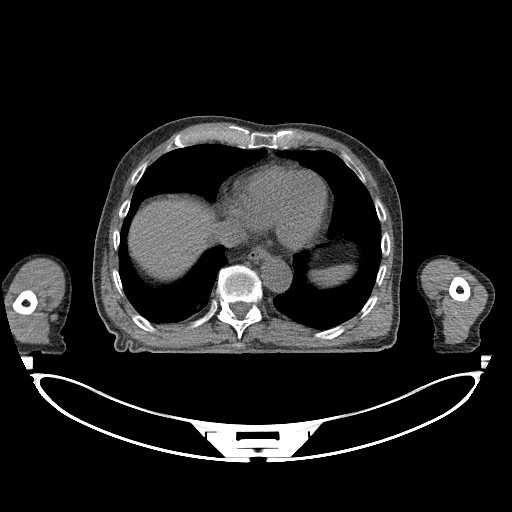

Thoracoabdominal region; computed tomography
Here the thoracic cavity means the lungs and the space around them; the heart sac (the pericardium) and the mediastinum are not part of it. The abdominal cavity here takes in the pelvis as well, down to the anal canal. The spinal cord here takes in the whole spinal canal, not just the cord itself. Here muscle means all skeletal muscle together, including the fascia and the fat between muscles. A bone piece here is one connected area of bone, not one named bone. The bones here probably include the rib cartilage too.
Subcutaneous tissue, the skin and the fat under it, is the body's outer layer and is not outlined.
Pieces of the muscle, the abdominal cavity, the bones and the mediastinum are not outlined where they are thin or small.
The torso is outlined by 194,115 225,115 265,124 321,124 355,137 383,161 395,183 403,221 400,322 397,339 391,347 358,354 240,355 146,351 134,354 115,349 115,336 99,317 92,290 94,240 113,172 127,150 145,134 166,122. The right arm is outlined by 37,252 50,253 59,257 66,264 71,275 71,301 66,321 61,330 61,334 64,337 66,344 66,349 63,354 42,354 39,351 34,351 31,355 21,355 14,341 6,312 2,291 2,281 4,277 18,260. The mediastinum appears in 2 outlined pieces: piece 1: 226,223 233,224 237,233 232,246 260,241 284,254 293,255 292,280 290,286 284,292 276,295 271,301 267,301 264,299 262,281 253,269 241,263 223,266 227,263 225,247 221,244 212,246 218,240 222,227; piece 2: 265,148 282,149 282,150 278,150 276,152 276,154 278,156 295,159 302,165 277,159 270,159 268,161 256,165 239,173 231,180 228,181 223,186 216,203 214,201 222,182 228,176 262,158 266,154. The bones appear in 15 outlined pieces: piece 1: 235,264 241,264 253,270 261,281 263,294 263,299 259,303 262,315 261,320 248,325 244,329 240,339 230,324 219,320 215,315 196,327 187,328 191,321 201,317 208,310 210,302 215,296 219,270 222,267; inner edge: 235,302 245,302 246,303 248,303 250,305 250,306 249,307 249,309 242,318 238,318 237,317 237,316 233,312 233,311 231,309 231,308 230,307 230,305 231,304 231,303 234,303; piece 2: 231,124 245,127 251,131 266,133 275,133 280,129 292,129 303,136 295,147 290,147 287,149 267,147 241,148 225,142 210,140 179,147 163,153 166,146 174,140 177,134 183,134 192,130 215,127 222,128; piece 3: 26,289 30,289 34,292 37,298 37,304 34,310 30,314 21,314 20,313 18,313 16,312 13,309 12,307 12,304 15,300 15,299 17,297 17,296 23,290 25,290; piece 4: 455,276 461,276 463,277 466,280 466,281 469,285 469,287 470,288 470,295 469,297 466,300 464,301 459,301 458,300 455,300 450,295 449,293 449,285 450,284 450,282 451,280; piece 5: 341,324 342,324 344,326 344,330 340,334 339,334 337,336 333,338 331,338 330,339 323,339 322,338 315,338 314,337 314,334 318,331 322,331 323,330 326,330 327,329 329,329 330,328 335,327; piece 6: 342,151 344,151 353,160 354,163 361,170 361,171 362,172 363,175 365,177 365,179 366,180 366,182 365,183 365,184 364,184 360,180 360,179 354,172 354,171 351,168 350,168 340,157 340,154; piece 7: 136,312 137,312 141,316 142,316 144,318 145,318 148,321 149,321 152,324 152,325 156,329 156,331 155,332 150,332 149,331 147,331 146,330 145,330 144,329 139,327 132,320 132,319 131,318 131,315; piece 8: 145,161 147,161 148,162 148,165 147,167 145,169 144,172 142,174 141,177 139,179 137,183 135,185 132,185 130,183 130,181 131,180 131,177 132,176 132,174 133,172 140,164 141,164; piece 9: 371,295 376,295 377,296 377,300 376,301 376,302 374,304 373,307 370,310 370,311 364,317 361,318 361,313 360,312 360,310 363,307 363,306 365,304 365,303 367,301 367,300 370,297 370,296; piece 10: 376,197 378,197 381,201 383,205 384,210 385,211 385,215 386,216 386,218 385,219 385,221 383,222 380,222 378,218 377,213 376,212 376,209 375,208 375,206 374,205 374,202 373,200; piece 11: 383,232 387,232 388,233 388,235 389,236 389,239 390,240 390,249 389,250 389,253 388,254 388,255 387,255 386,256 383,256 382,255 382,251 381,250 381,238 382,237 382,233; piece 12: 113,268 116,268 118,270 118,273 119,274 119,277 121,281 121,284 122,285 122,289 124,293 124,296 121,296 120,295 120,294 118,292 118,290 115,286 115,284 114,283 114,281 112,277 112,269; piece 13: 126,199 130,199 130,203 129,204 129,207 128,208 128,210 127,211 127,213 126,214 126,215 123,218 123,219 121,219 119,217 119,209 120,208 120,207 121,206 121,204; piece 14: 381,264 385,264 385,265 386,266 386,270 385,271 385,274 384,275 384,277 382,280 382,282 381,283 381,284 380,285 377,285 376,284 376,277 377,276 377,273 378,272 378,270 379,269 379,267; piece 15: 114,229 118,229 119,230 119,244 118,245 118,248 117,249 117,250 115,250 114,249 114,246 113,245 113,231 114,230. The abdominal cavity appears in 2 outlined pieces: piece 1: 175,192 191,192 203,196 210,202 215,202 217,210 225,221 225,223 221,227 221,230 219,232 219,235 215,243 202,254 185,277 169,285 153,286 144,281 134,269 128,255 127,234 132,218 143,200 156,194; piece 2: 339,236 345,236 346,238 355,240 359,244 361,250 361,261 359,263 359,269 353,278 337,288 325,290 317,289 308,283 306,279 306,271 310,259 308,251 306,250 324,238 326,240 329,240 330,238 332,240. The pericardium is outlined by 270,160 289,162 313,170 326,182 331,195 331,208 324,237 311,247 294,254 284,253 260,240 251,240 245,244 232,245 238,235 236,227 233,223 226,222 218,210 217,203 224,186 228,182 239,174. The muscle appears in 3 outlined pieces: piece 1: 210,122 233,123 177,133 159,157 149,165 147,160 143,161 131,174 129,183 134,189 131,197 126,198 118,209 118,217 122,220 120,229 112,231 118,268 111,269 117,292 121,297 125,296 136,311 130,315 131,320 139,328 155,333 157,329 153,324 190,321 186,328 193,329 215,316 230,325 240,340 248,326 262,320 260,303 263,300 276,314 317,330 313,334 315,339 330,340 345,330 343,323 359,312 362,319 371,311 378,300 378,296 372,294 373,288 375,284 382,284 387,270 381,259 388,256 391,249 389,233 381,229 381,223 387,218 384,205 378,196 371,197 362,170 344,150 339,156 326,149 298,146 304,136 293,129 296,128 343,143 377,182 392,220 394,236 393,314 386,335 323,347 263,342 244,349 226,349 213,343 155,347 137,341 114,324 101,299 100,273 108,247 110,221 124,184 140,160 174,133 191,125; piece 2: 35,258 48,258 53,260 61,267 65,277 64,296 57,312 57,318 52,326 50,334 50,343 48,344 24,343 18,340 14,341 14,337 4,303 4,299 6,293 8,291 9,286 19,269 26,262; inner edge: 26,289 30,289 34,292 37,298 37,304 34,310 30,314 21,314 20,313 18,313 16,312 13,309 12,307 12,304 15,300 15,299 17,297 17,296 23,290 25,290; piece 3: 439,258 449,259 455,262 461,269 470,272 484,286 488,294 483,311 476,318 470,327 466,339 459,343 449,344 443,342 439,330 438,317 435,311 435,305 433,301 425,293 421,283 421,272 424,266 430,261 with a hole at 455,276 461,276 463,277 466,280 466,281 469,285 469,287 470,288 470,295 469,297 466,300 464,301 459,301 458,300 455,300 450,295 449,293 449,285 450,284 450,282 451,280. The left arm is outlined by 434,254 448,254 466,261 484,273 490,279 494,286 495,299 492,308 481,323 479,328 481,339 480,345 470,353 438,354 435,352 433,347 434,332 433,322 427,304 418,291 416,285 416,271 418,266 424,259. The thoracic cavity appears in 2 outlined pieces: piece 1: 213,141 241,149 264,148 265,154 228,175 213,201 199,193 175,191 140,202 127,230 126,249 133,269 150,286 182,280 216,246 224,247 226,259 201,316 152,323 123,289 118,269 123,220 148,166 173,150; piece 2: 298,149 337,155 368,191 381,230 381,258 371,294 352,317 322,330 276,313 264,301 271,302 291,286 297,253 307,252 305,279 320,291 347,284 362,261 355,239 329,235 335,198 326,180 297,159 277,154. The spinal cord is outlined by 235,302 245,302 246,303 248,303 250,305 250,306 249,307 249,309 242,318 238,318 237,317 237,316 233,312 233,311 231,309 231,308 230,307 230,305 231,304 231,303 234,303.